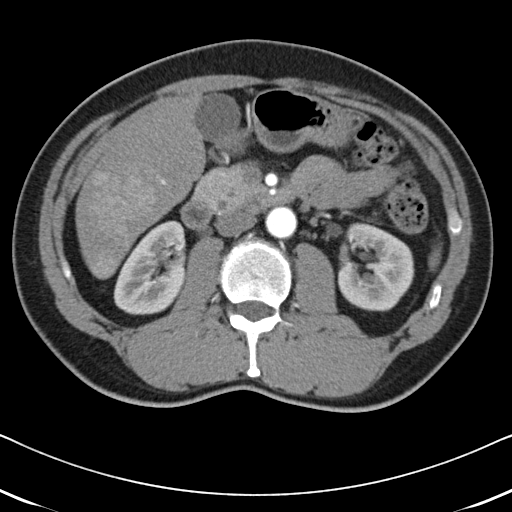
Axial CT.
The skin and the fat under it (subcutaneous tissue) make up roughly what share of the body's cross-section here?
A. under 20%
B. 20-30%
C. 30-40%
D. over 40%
B. 20-30%
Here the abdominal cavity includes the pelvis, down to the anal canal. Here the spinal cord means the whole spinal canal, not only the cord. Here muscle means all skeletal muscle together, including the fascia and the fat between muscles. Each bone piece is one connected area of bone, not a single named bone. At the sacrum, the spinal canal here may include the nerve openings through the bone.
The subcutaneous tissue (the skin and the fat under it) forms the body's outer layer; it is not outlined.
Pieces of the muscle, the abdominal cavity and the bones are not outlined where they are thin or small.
abdominal cavity: 257 84; 382 118; 440 185; 447 258; 422 305; 397 329; 369 335; 338 313; 332 264; 304 241; 289 260; 266 240; 245 239; 226 253; 221 238; 204 235; 189 251; 170 311; 136 326; 106 317; 79 291; 64 223; 102 153; 168 101
bones 1: 245 240; 262 240; 277 247; 290 262; 292 273; 289 294; 279 309; 281 318; 292 325; 278 322; 271 330; 258 336; 256 363; 260 374; 257 377; 246 373; 249 367; 246 335; 230 324; 227 313; 233 306; 224 295; 219 281; 224 255 with a hole at 246 301; 258 301; 259 302; 261 302; 262 303; 265 304; 270 308; 270 309; 271 310; 271 314; 270 314; 265 317; 262 317; 257 320; 250 320; 245 316; 238 313; 236 310; 237 309; 237 306; 239 304; 240 304; 243 302; 245 302
bones 2: 451 205; 453 205; 455 207; 455 208; 457 210; 457 211; 458 212; 458 213; 462 220; 462 228; 461 229; 461 231; 458 234; 457 234; 456 235; 454 235; 450 231; 450 230; 448 228; 448 216; 447 215; 447 209; 448 208; 448 207
torso: 246 38; 323 48; 395 80; 451 128; 483 183; 493 226; 493 266; 484 307; 451 357; 423 385; 391 405; 335 412; 250 390; 175 407; 127 403; 96 391; 66 368; 20 305; 11 263; 14 213; 26 174; 54 129; 94 91; 144 64
muscle: 210 74; 298 77; 358 90; 429 127; 457 166; 472 241; 449 316; 359 393; 300 395; 253 378; 261 374; 259 336; 278 323; 293 325; 280 309; 293 284; 296 245; 308 243; 328 258; 336 312; 381 336; 403 325; 431 289; 427 307; 439 304; 442 285; 434 281; 448 258; 449 230; 458 235; 463 220; 453 204; 446 209; 441 185; 402 131; 369 111; 286 85; 199 91; 155 107; 97 158; 63 223; 63 275; 71 283; 72 275; 90 306; 127 327; 168 314; 186 283; 192 247; 204 236; 221 239; 219 287; 232 306; 229 324; 245 335; 249 377; 182 391; 154 387; 55 305; 38 232; 44 189; 66 145; 99 116
spinal cord: 246 301; 258 301; 259 302; 261 302; 262 303; 265 304; 270 308; 270 309; 271 310; 271 314; 270 314; 265 317; 262 317; 257 320; 250 320; 245 316; 238 313; 236 310; 237 309; 237 306; 239 304; 240 304; 243 302; 245 302